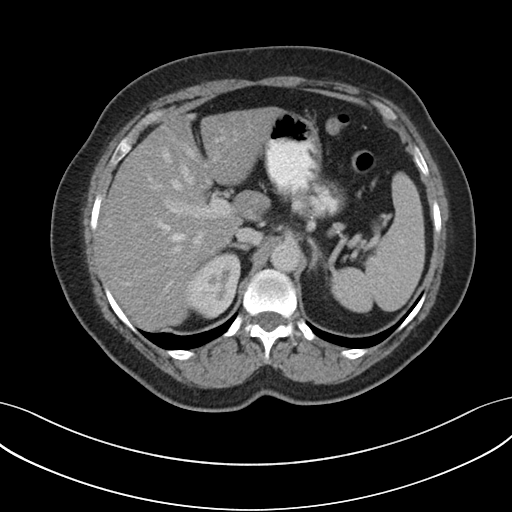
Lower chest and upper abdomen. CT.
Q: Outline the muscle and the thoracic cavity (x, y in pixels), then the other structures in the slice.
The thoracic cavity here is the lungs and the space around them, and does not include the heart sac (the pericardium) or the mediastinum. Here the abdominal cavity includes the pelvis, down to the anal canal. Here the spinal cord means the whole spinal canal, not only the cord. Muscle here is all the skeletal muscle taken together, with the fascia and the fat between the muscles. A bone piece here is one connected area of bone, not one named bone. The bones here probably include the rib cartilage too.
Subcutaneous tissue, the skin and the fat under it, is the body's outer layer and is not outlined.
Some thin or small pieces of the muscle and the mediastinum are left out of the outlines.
A: The muscle is outlined by [[280,75],[294,75],[305,78],[332,80],[347,83],[368,90],[392,101],[407,115],[423,139],[432,158],[436,163],[437,167],[442,175],[442,179],[450,208],[448,238],[445,251],[443,269],[441,274],[440,285],[436,295],[435,301],[426,317],[389,354],[358,375],[350,379],[335,384],[316,385],[293,381],[282,375],[272,367],[263,366],[256,370],[244,382],[231,387],[204,389],[195,386],[189,386],[178,381],[158,368],[140,352],[131,346],[111,324],[103,317],[102,313],[95,301],[86,269],[84,240],[82,233],[84,197],[93,170],[112,138],[126,123],[151,101],[166,94],[189,86],[200,84],[205,81],[225,79],[226,78],[246,79],[255,81],[266,77],[279,76]], around a hole outlined by [[250,86],[374,109],[371,100],[377,100],[396,114],[392,121],[428,167],[427,193],[439,206],[441,229],[433,232],[424,301],[403,328],[354,359],[340,354],[344,346],[301,334],[295,345],[289,336],[276,339],[266,362],[260,339],[242,331],[244,320],[233,335],[193,347],[194,355],[181,360],[133,332],[108,301],[90,219],[96,195],[105,195],[112,178],[116,166],[109,161],[117,145],[149,112],[163,109],[165,115]]. The thoracic cavity appears in 2 outlined pieces: piece 1: [[234,314],[236,314],[234,319],[221,335],[202,345],[193,347],[190,349],[183,349],[182,348],[166,349],[152,342],[138,330],[142,330],[150,333],[162,333],[163,332],[174,334],[178,336],[188,336],[193,334],[199,334],[215,328],[228,320]]; piece 2: [[422,292],[414,306],[399,325],[384,339],[369,347],[351,347],[348,348],[335,343],[332,343],[319,337],[307,323],[307,322],[311,324],[324,332],[346,338],[363,338],[368,336],[373,336],[386,330],[395,324],[408,311],[412,304],[414,303],[418,296]]. The abdominal cavity is outlined by [[250,86],[284,87],[368,106],[406,133],[428,190],[433,247],[423,291],[386,329],[346,337],[306,322],[294,296],[301,259],[290,243],[273,250],[251,276],[237,314],[199,333],[137,329],[107,286],[96,230],[118,163],[137,137],[167,113],[212,94]]. The torso is outlined by [[285,44],[357,54],[391,70],[414,89],[469,184],[476,229],[472,275],[459,307],[433,341],[403,369],[366,392],[318,405],[296,405],[266,395],[235,411],[185,409],[156,396],[121,369],[74,315],[51,259],[54,196],[103,108],[139,75],[196,53]]. The bones appear in 10 outlined pieces: piece 1: [[268,268],[290,278],[297,300],[292,321],[294,324],[302,318],[317,337],[308,340],[301,334],[295,336],[295,345],[289,336],[280,337],[266,362],[260,339],[242,331],[246,320],[233,335],[222,334],[239,313],[247,314],[242,306],[247,285],[254,275]] with a hole at [[261,312],[275,312],[276,313],[281,315],[283,317],[283,318],[284,319],[284,322],[281,324],[279,324],[277,326],[276,326],[273,329],[272,329],[271,330],[269,330],[268,331],[267,330],[265,330],[261,326],[260,326],[254,321],[254,317]]; piece 2: [[159,109],[163,109],[164,110],[164,113],[161,116],[158,117],[151,123],[144,127],[139,132],[133,140],[131,145],[131,148],[129,151],[128,151],[127,153],[123,156],[116,165],[114,166],[109,164],[110,158],[119,142],[146,114],[154,110],[158,110]]; piece 3: [[106,285],[109,291],[111,293],[112,296],[114,298],[115,301],[122,310],[123,313],[126,316],[126,317],[132,324],[132,325],[139,332],[139,334],[136,334],[134,332],[133,332],[117,316],[117,315],[114,312],[108,301],[107,296],[104,290],[104,287]]; piece 4: [[97,194],[101,194],[103,196],[102,197],[102,199],[101,200],[101,203],[100,204],[100,207],[99,208],[99,214],[97,218],[97,226],[95,230],[92,230],[90,226],[91,211],[93,207],[93,204],[94,203],[94,200],[95,199],[95,197]]; piece 5: [[423,292],[425,292],[425,298],[418,312],[415,315],[415,316],[403,328],[402,328],[399,331],[397,331],[396,332],[395,330],[400,325],[400,324],[408,315],[408,314],[411,311],[411,310],[415,306],[415,305],[419,300]]; piece 6: [[434,200],[435,200],[437,202],[437,203],[439,206],[439,211],[440,212],[440,216],[441,217],[441,229],[440,230],[440,231],[438,233],[437,233],[434,231],[434,224],[433,223],[433,218],[432,217],[432,204],[433,203],[433,201]]; piece 7: [[414,145],[416,145],[419,148],[419,149],[420,150],[420,151],[426,162],[426,164],[428,167],[428,170],[429,171],[429,173],[428,174],[428,175],[424,175],[424,174],[420,170],[420,169],[417,164],[417,162],[415,159],[415,153],[413,150],[413,146]]; piece 8: [[371,100],[377,100],[378,101],[379,101],[380,102],[383,103],[385,105],[388,106],[396,114],[396,115],[397,116],[397,118],[394,120],[391,120],[390,119],[389,119],[381,111],[378,110],[371,103]]; piece 9: [[169,349],[182,349],[183,350],[190,350],[194,353],[194,355],[193,356],[191,356],[187,359],[185,359],[184,360],[181,360],[180,359],[177,359],[176,358],[174,358],[173,357],[170,356],[167,353],[167,352],[166,351],[166,350],[168,350]]; piece 10: [[346,348],[347,348],[348,349],[350,349],[351,348],[367,348],[367,351],[363,355],[362,355],[361,356],[359,356],[354,359],[349,359],[348,358],[347,358],[346,357],[345,357],[340,354],[340,352],[342,350],[343,350]]. The spinal cord is outlined by [[261,312],[275,312],[276,313],[281,315],[283,317],[283,318],[284,319],[284,322],[281,324],[279,324],[277,326],[276,326],[273,329],[272,329],[271,330],[269,330],[268,331],[267,330],[265,330],[261,326],[260,326],[254,321],[254,317]]. The mediastinum is outlined by [[288,244],[290,244],[294,247],[300,259],[293,274],[293,282],[291,278],[287,274],[281,271],[279,271],[276,269],[268,267],[267,268],[264,268],[259,270],[261,268],[264,262],[269,257],[273,251],[274,251],[280,246],[283,246]].